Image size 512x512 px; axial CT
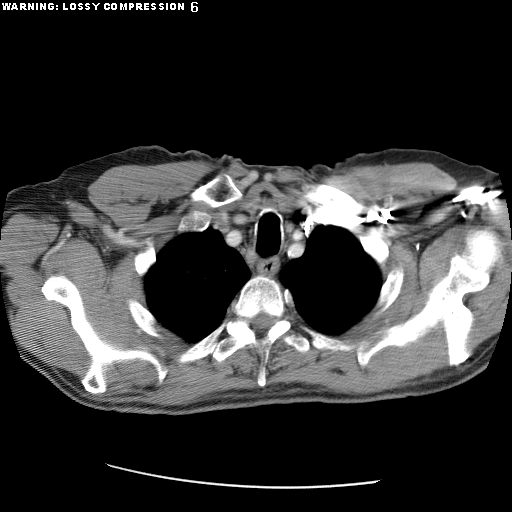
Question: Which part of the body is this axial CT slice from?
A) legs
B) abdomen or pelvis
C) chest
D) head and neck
Answer: C) chest
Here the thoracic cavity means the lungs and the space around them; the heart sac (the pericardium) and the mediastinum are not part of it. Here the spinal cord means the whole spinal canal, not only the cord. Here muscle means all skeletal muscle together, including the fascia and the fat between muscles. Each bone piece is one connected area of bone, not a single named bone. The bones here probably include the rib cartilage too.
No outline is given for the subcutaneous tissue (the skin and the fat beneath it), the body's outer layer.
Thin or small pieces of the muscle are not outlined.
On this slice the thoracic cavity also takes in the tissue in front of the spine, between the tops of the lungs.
{"spinal_cord":[[[261,312],[263,312],[264,313],[265,313],[266,314],[273,317],[274,318],[274,320],[273,321],[273,323],[271,325],[271,326],[266,331],[266,332],[264,334],[263,334],[262,335],[258,335],[251,328],[251,319],[252,318],[253,318],[256,315],[257,315]]],"bones":[{"outer":[[484,226],[505,243],[504,260],[462,297],[474,318],[472,354],[458,365],[447,364],[441,322],[363,367],[355,349],[300,352],[281,336],[264,386],[249,345],[222,361],[176,359],[223,321],[253,276],[287,288],[315,331],[368,338],[418,313],[468,232]],"hole":[[261,312],[263,312],[264,313],[265,313],[266,314],[273,317],[274,318],[274,320],[273,321],[273,323],[271,325],[271,326],[266,331],[266,332],[264,334],[263,334],[262,335],[258,335],[251,328],[251,319],[252,318],[253,318],[256,315],[257,315]]},[[53,274],[66,276],[76,286],[86,318],[103,340],[121,349],[149,348],[167,368],[160,384],[155,367],[146,360],[136,359],[107,366],[103,393],[94,394],[84,388],[80,380],[91,357],[71,325],[69,309],[57,301],[46,299],[41,291],[45,280]],[[219,173],[225,173],[231,177],[235,185],[241,191],[242,193],[242,197],[240,199],[235,200],[227,204],[224,204],[223,205],[218,206],[215,208],[211,208],[202,202],[193,202],[190,198],[190,194],[191,192],[197,187],[201,185],[203,185],[208,182]],[[321,183],[328,183],[339,188],[341,190],[346,192],[352,196],[361,205],[358,207],[335,207],[334,206],[326,206],[325,205],[321,205],[320,204],[315,204],[312,202],[308,201],[303,196],[302,193],[305,191],[307,191],[310,188],[314,186],[316,186]],[[395,267],[401,267],[403,269],[403,273],[404,275],[403,276],[403,282],[402,283],[400,291],[397,297],[391,303],[391,304],[385,310],[376,315],[375,313],[378,310],[378,308],[377,307],[374,307],[374,306],[378,298],[382,283],[386,279],[389,272]],[[128,298],[133,298],[135,299],[143,306],[146,307],[151,312],[151,313],[157,320],[157,329],[161,334],[162,336],[161,337],[156,337],[155,336],[148,334],[142,330],[136,324],[132,318],[130,314],[130,312],[128,309],[128,306],[126,301]],[[359,235],[360,236],[374,236],[378,238],[381,238],[386,244],[387,246],[387,249],[388,250],[388,256],[385,261],[385,264],[384,266],[381,269],[378,266],[378,265],[375,262],[375,261],[364,250],[357,236]],[[194,210],[204,210],[210,216],[210,218],[208,222],[208,225],[206,227],[206,228],[205,228],[201,231],[186,231],[185,232],[178,233],[177,232],[177,228],[179,224],[181,222],[182,219],[184,217],[184,216],[187,214],[189,214],[191,213]],[[151,245],[153,246],[156,252],[156,258],[155,259],[155,262],[148,269],[147,272],[144,275],[144,276],[143,277],[141,277],[138,275],[135,269],[135,266],[134,265],[134,257],[135,255],[139,251],[141,250],[144,250],[146,248],[147,248]]],"muscle":[{"outer":[[184,160],[320,176],[429,162],[458,182],[499,183],[511,281],[498,338],[462,370],[413,385],[357,394],[266,385],[281,337],[300,353],[355,350],[363,368],[441,323],[446,364],[458,366],[473,354],[475,318],[463,297],[488,285],[506,243],[488,225],[470,229],[418,312],[368,337],[338,338],[392,304],[404,269],[393,267],[383,280],[389,250],[381,237],[356,236],[263,190],[244,209],[211,216],[194,209],[157,252],[151,244],[139,250],[133,265],[146,306],[125,301],[148,335],[163,336],[158,323],[191,344],[175,357],[180,364],[208,355],[222,362],[254,348],[256,383],[264,387],[179,405],[82,395],[13,337],[0,279],[1,224],[18,212],[61,219],[111,167]],"holes":[[[53,274],[66,276],[76,286],[86,318],[103,340],[121,349],[149,348],[167,368],[160,384],[155,367],[146,360],[136,359],[107,366],[103,393],[94,394],[84,388],[80,380],[91,357],[71,325],[69,309],[57,301],[46,299],[41,291],[45,280]],[[219,173],[225,173],[231,177],[235,185],[241,191],[242,193],[242,197],[240,199],[235,200],[227,204],[224,204],[223,205],[218,206],[215,208],[211,208],[202,202],[193,202],[190,198],[190,194],[191,192],[197,187],[201,185],[203,185],[208,182]],[[321,183],[328,183],[339,188],[341,190],[346,192],[352,196],[361,205],[358,207],[335,207],[334,206],[326,206],[325,205],[321,205],[320,204],[315,204],[312,202],[308,201],[303,196],[302,193],[305,191],[307,191],[310,188],[314,186],[316,186]]]}],"left_arm":[[[479,164],[489,169],[496,171],[498,173],[499,179],[501,182],[501,188],[506,201],[506,205],[509,215],[509,224],[511,230],[511,277],[508,276],[496,267],[484,260],[477,246],[471,237],[470,233],[468,231],[468,228],[467,227],[468,186]]],"right_arm":[[[18,186],[26,192],[34,201],[34,204],[35,205],[35,212],[34,213],[34,216],[27,229],[23,233],[15,235],[10,238],[7,238],[0,241],[0,230],[1,229],[1,224],[3,219],[3,213],[4,212],[4,208],[6,203],[7,194],[11,189]]],"thoracic_cavity":[[[263,191],[290,208],[309,208],[349,230],[379,268],[383,281],[375,303],[349,328],[328,335],[304,321],[292,292],[276,278],[253,275],[231,301],[222,321],[192,344],[159,323],[147,307],[144,277],[157,253],[178,234],[203,231],[216,211],[244,210]]],"torso":[[[151,144],[305,168],[388,147],[431,149],[478,164],[467,186],[467,231],[483,260],[511,278],[484,370],[440,392],[365,403],[276,403],[166,415],[99,410],[69,398],[24,362],[16,347],[0,279],[0,242],[23,234],[35,216],[35,201],[19,186]]]}